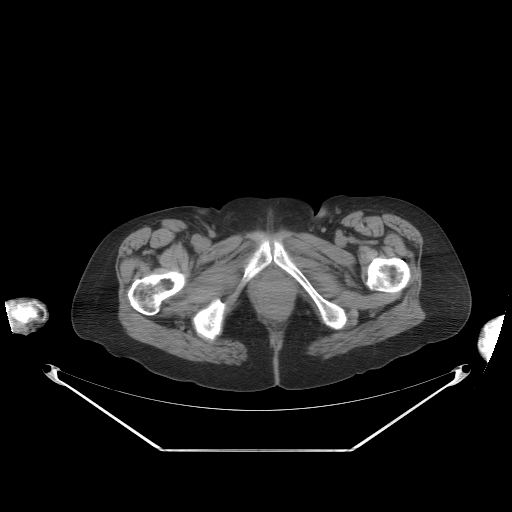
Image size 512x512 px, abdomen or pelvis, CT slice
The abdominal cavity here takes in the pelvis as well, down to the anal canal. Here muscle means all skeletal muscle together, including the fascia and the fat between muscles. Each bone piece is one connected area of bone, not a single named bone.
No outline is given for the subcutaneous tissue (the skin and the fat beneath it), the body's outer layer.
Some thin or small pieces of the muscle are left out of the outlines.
{"muscle":[{"outer":[[367,209],[392,213],[409,221],[423,238],[419,301],[426,317],[396,335],[326,359],[306,354],[307,346],[328,330],[298,295],[282,343],[275,353],[266,326],[257,319],[243,291],[240,303],[226,317],[223,335],[243,343],[248,357],[240,365],[227,365],[187,360],[135,340],[125,333],[118,319],[117,251],[127,235],[144,225],[165,218],[179,219],[198,229],[212,243],[240,232],[281,228],[329,240],[336,224],[345,215]],"holes":[[[259,232],[263,232],[271,239],[277,233],[281,234],[281,242],[285,250],[313,287],[325,299],[344,309],[347,320],[342,328],[334,329],[326,325],[309,294],[288,272],[274,262],[270,262],[259,270],[237,294],[235,293],[244,267],[259,244],[256,234]],[[271,266],[274,267],[291,280],[295,287],[295,297],[293,298],[293,301],[289,308],[287,317],[285,318],[285,321],[283,322],[283,325],[279,333],[276,335],[274,335],[268,324],[262,319],[258,309],[258,306],[251,293],[252,283],[267,272]],[[168,270],[177,270],[183,273],[185,275],[185,284],[184,286],[175,294],[164,299],[160,305],[160,309],[159,311],[153,315],[145,315],[134,309],[131,306],[127,296],[127,292],[132,282],[135,279],[141,278],[146,275],[148,275],[152,273],[161,273]],[[395,256],[403,259],[409,266],[410,269],[410,278],[407,285],[403,289],[395,293],[384,292],[383,291],[378,291],[377,290],[371,290],[369,289],[365,284],[365,282],[367,279],[367,267],[370,262],[376,257],[386,257],[389,258]],[[216,298],[219,298],[221,301],[224,302],[226,304],[226,307],[223,314],[223,321],[222,322],[222,329],[221,332],[217,335],[214,339],[211,340],[208,338],[205,338],[199,335],[196,332],[194,325],[192,322],[192,318],[200,309],[205,307],[210,302]]]}],"right_arm":[[[20,296],[32,296],[40,299],[47,305],[47,307],[49,311],[49,318],[46,323],[42,327],[36,331],[32,332],[27,335],[20,334],[16,332],[19,330],[18,329],[18,326],[16,325],[16,320],[14,318],[14,309],[16,307],[14,298],[19,297]]],"bones":[[[259,232],[263,232],[271,239],[277,233],[281,234],[281,242],[285,250],[313,287],[325,299],[344,309],[347,320],[342,328],[334,329],[326,325],[309,294],[288,272],[274,262],[270,262],[259,270],[237,294],[235,293],[244,267],[259,244],[256,234]],[[168,270],[177,270],[183,273],[185,275],[185,284],[184,286],[175,294],[164,299],[160,305],[160,309],[159,311],[153,315],[145,315],[134,309],[131,306],[127,296],[127,292],[132,282],[135,279],[141,278],[146,275],[148,275],[152,273],[161,273]],[[395,256],[403,259],[409,266],[410,269],[410,278],[407,285],[403,289],[395,293],[384,292],[383,291],[378,291],[377,290],[371,290],[369,289],[365,284],[365,282],[367,279],[367,267],[370,262],[376,257],[386,257],[389,258]],[[216,298],[219,298],[221,301],[224,302],[226,304],[226,307],[223,314],[223,321],[222,322],[222,329],[221,332],[217,335],[214,339],[211,340],[208,338],[205,338],[199,335],[196,332],[194,325],[192,322],[192,318],[200,309],[205,307],[210,302]],[[29,300],[35,300],[40,304],[41,304],[44,307],[45,309],[45,311],[46,312],[45,319],[43,320],[41,320],[40,319],[31,319],[26,323],[21,323],[14,318],[14,309],[16,307],[15,305],[15,302],[16,303],[19,303],[20,302],[25,302]]],"torso":[[[338,194],[400,198],[422,208],[437,221],[460,259],[472,296],[469,318],[455,335],[335,383],[297,390],[275,386],[238,392],[153,373],[74,332],[70,309],[83,270],[103,237],[121,223],[174,206],[217,208],[242,195],[296,196],[316,211],[323,200]]],"abdominal_cavity":[[[271,266],[274,267],[291,280],[295,287],[295,297],[293,298],[293,301],[289,308],[287,317],[285,318],[285,321],[283,322],[283,325],[279,333],[276,335],[274,335],[268,324],[262,319],[258,309],[258,306],[251,293],[252,283],[267,272]]]}